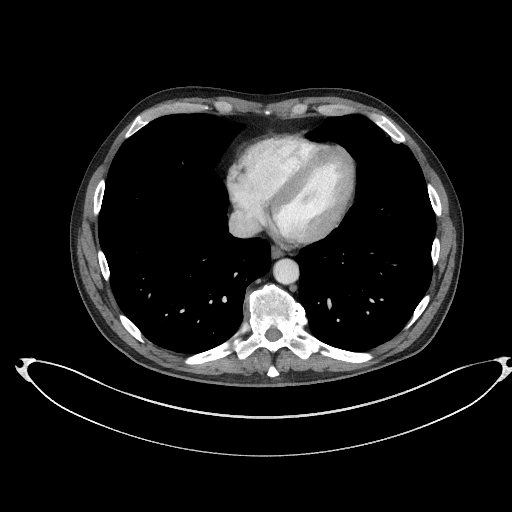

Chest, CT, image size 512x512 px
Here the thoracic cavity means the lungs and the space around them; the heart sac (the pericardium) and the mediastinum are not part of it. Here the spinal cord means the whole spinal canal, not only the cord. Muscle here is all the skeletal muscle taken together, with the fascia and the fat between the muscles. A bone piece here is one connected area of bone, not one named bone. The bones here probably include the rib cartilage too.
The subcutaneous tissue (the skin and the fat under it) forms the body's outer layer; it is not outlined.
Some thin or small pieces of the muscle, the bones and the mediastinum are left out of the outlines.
The muscle is outlined by 240 380; 268 377; 266 373; 271 365; 280 376; 289 377; 327 375; 373 365; 411 345; 443 301; 451 282; 456 250; 455 228; 447 194; 416 142; 382 111; 335 96; 292 98; 266 104; 216 96; 168 99; 140 113; 166 103; 185 101; 207 104; 210 107; 208 111; 198 112; 263 115; 262 111; 267 108; 272 112; 270 117; 295 119; 322 115; 315 110; 320 104; 339 103; 354 107; 353 113; 365 115; 375 112; 392 120; 406 136; 405 144; 420 164; 426 181; 436 188; 441 198; 443 213; 436 219; 441 253; 427 292; 431 296; 427 308; 409 329; 370 351; 374 358; 362 364; 339 362; 318 353; 303 361; 287 349; 275 354; 259 349; 243 361; 233 353; 217 362; 186 366; 182 363; 186 356; 160 349; 147 340; 139 343; 118 320; 117 315; 121 312; 108 283; 100 274; 96 258; 96 251; 100 248; 97 218; 91 214; 94 187; 101 178; 105 178; 131 121; 117 135; 91 176; 77 238; 77 255; 85 289; 107 324; 130 347; 161 366; inner edges: 220 112; 229 112; 232 109; 232 106; 231 105; 231 104; 230 104; 229 103; 228 103; 227 102; 226 102; 225 101; 214 101; 213 102; 213 106; 214 107; 214 108; 216 110; 218 110, then 293 114; 301 114; 302 113; 304 113; 306 111; 307 111; 307 110; 308 109; 308 106; 307 105; 307 104; 306 104; 305 103; 299 103; 298 104; 296 104; 294 106; 293 106; 293 107; 291 110; 291 111. The bones appear in 13 outlined pieces: piece 1: 186 365; 217 361; 233 352; 243 360; 259 348; 271 353; 287 348; 303 360; 318 352; 350 363; 369 361; 373 355; 346 351; 318 340; 305 330; 305 311; 294 296; 274 283; 266 283; 245 297; 240 330; 216 347; 187 356; 183 360, around a hole outlined by 271 340; 274 340; 275 339; 276 339; 278 337; 279 337; 280 336; 280 333; 279 332; 279 331; 278 330; 277 330; 275 328; 270 328; 266 332; 266 336; 269 339; 270 339; piece 2: 125 139; 135 133; 150 121; 162 114; 170 113; 171 112; 206 111; 208 110; 209 107; 207 105; 203 104; 193 104; 185 102; 176 102; 173 104; 166 104; 163 106; 160 106; 151 110; 143 112; 141 114; 138 114; 134 118; 124 135; piece 3: 396 143; 404 143; 405 142; 405 136; 396 127; 396 126; 391 121; 391 120; 390 120; 386 116; 384 115; 380 115; 379 114; 376 114; 375 113; 368 113; 366 115; 366 116; 376 125; 377 125; 382 130; 383 130; 391 138; 391 139; piece 4: 327 116; 331 116; 332 115; 341 115; 342 114; 347 114; 348 113; 352 113; 352 111; 354 110; 354 108; 352 107; 349 107; 348 106; 340 105; 339 104; 327 104; 326 105; 320 105; 316 108; 316 110; 321 114; 323 115; 326 115; piece 5: 95 217; 97 217; 98 213; 101 207; 101 202; 102 201; 102 198; 103 197; 103 193; 104 192; 104 188; 105 187; 105 180; 104 179; 101 179; 97 183; 95 187; 95 189; 94 190; 94 193; 93 194; 93 206; 92 207; 92 214; piece 6: 141 343; 143 343; 145 341; 145 339; 143 337; 142 334; 140 332; 140 331; 138 329; 138 328; 127 317; 126 317; 122 313; 119 314; 118 315; 118 318; 121 322; 121 323; 124 327; 124 328; 134 338; 135 338; 139 342; 140 342; piece 7: 436 217; 439 217; 442 213; 442 206; 441 205; 440 198; 439 197; 439 196; 438 195; 438 193; 436 191; 435 188; 430 183; 427 183; 427 191; 428 192; 429 199; 430 200; 430 202; 431 203; 431 205; 432 206; 433 211; 434 212; piece 8: 405 329; 407 329; 409 328; 416 321; 416 320; 421 315; 423 311; 426 308; 430 300; 430 296; 428 294; 426 294; 422 298; 422 299; 419 302; 419 303; 415 308; 413 312; 413 315; 411 319; 404 328; piece 9: 106 282; 108 282; 108 279; 109 278; 109 268; 108 267; 108 265; 107 264; 107 262; 106 261; 106 259; 103 252; 100 249; 99 249; 97 251; 97 258; 98 259; 98 263; 99 264; 99 267; 101 271; 101 274; 104 280; piece 10: 434 267; 437 264; 437 262; 438 261; 438 259; 439 258; 439 254; 440 253; 440 240; 438 238; 438 237; 437 237; 436 236; 433 240; 433 242; 432 243; 432 246; 431 247; 431 258; 432 259; 432 263; 433 264; 433 266; piece 11: 220 112; 229 112; 232 109; 232 106; 231 105; 231 104; 230 104; 229 103; 228 103; 227 102; 226 102; 225 101; 214 101; 213 102; 213 106; 214 107; 214 108; 216 110; 218 110; piece 12: 293 114; 301 114; 302 113; 304 113; 306 111; 307 111; 307 110; 308 109; 308 106; 307 105; 307 104; 306 104; 305 103; 299 103; 298 104; 296 104; 294 106; 293 106; 293 107; 291 110; 291 111; piece 13: 269 377; 276 377; 279 374; 279 373; 276 370; 276 369; 273 366; 271 366; 269 368; 269 370; 268 371; 268 372; 267 373; 267 375. The pericardium is outlined by 293 251; 302 250; 303 248; 323 239; 339 225; 347 211; 352 206; 354 200; 356 164; 343 147; 330 141; 295 133; 274 132; 257 135; 245 141; 239 147; 228 169; 225 178; 225 187; 229 199; 234 205; 250 213; 271 238; 282 248. The torso is outlined by 242 388; 321 384; 382 369; 419 353; 448 312; 463 254; 463 217; 457 195; 424 140; 397 112; 369 94; 336 87; 275 94; 209 86; 167 88; 140 100; 124 115; 84 173; 70 217; 69 250; 78 292; 97 329; 116 349; 148 370. The spinal cord is outlined by 271 340; 274 340; 275 339; 276 339; 278 337; 279 337; 280 336; 280 333; 279 332; 279 331; 278 330; 277 330; 275 328; 270 328; 266 332; 266 336; 269 339; 270 339. The thoracic cavity appears in 2 outlined pieces: piece 1: 184 355; 216 346; 238 330; 243 319; 246 287; 270 267; 270 247; 266 240; 258 237; 240 240; 228 232; 228 196; 213 169; 245 125; 197 112; 160 116; 123 142; 105 179; 98 216; 100 246; 110 268; 109 284; 119 308; 154 345; piece 2: 351 351; 369 351; 404 329; 431 281; 430 247; 436 228; 426 182; 413 154; 404 144; 394 143; 360 114; 327 117; 307 134; 340 144; 354 158; 357 164; 356 196; 340 225; 295 257; 300 266; 298 298; 306 311; 309 331; 330 345. The mediastinum appears in 2 outlined pieces: piece 1: 297 300; 299 266; 294 257; 299 251; 293 252; 282 249; 270 238; 250 214; 230 202; 227 213; 229 232; 240 239; 248 239; 254 236; 264 238; 270 243; 271 247; 270 270; 247 287; 246 295; 249 291; 263 283; 274 282; 294 295; piece 2: 224 184; 224 178; 234 154; 245 140; 257 134; 274 131; 306 134; 324 120; 326 116; 308 116; 295 120; 279 120; 265 116; 258 116; 255 114; 217 115; 230 118; 246 125; 246 127; 234 137; 219 162; 214 167; 216 173; 223 180.